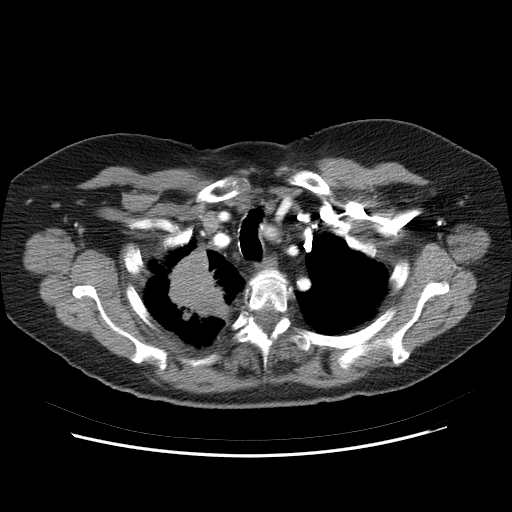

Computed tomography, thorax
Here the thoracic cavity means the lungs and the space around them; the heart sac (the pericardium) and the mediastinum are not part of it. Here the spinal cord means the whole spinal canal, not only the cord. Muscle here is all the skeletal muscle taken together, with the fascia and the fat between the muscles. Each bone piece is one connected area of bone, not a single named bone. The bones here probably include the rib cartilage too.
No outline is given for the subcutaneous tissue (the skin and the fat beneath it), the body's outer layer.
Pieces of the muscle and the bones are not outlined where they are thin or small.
The muscle is outlined by 324 157; 394 161; 431 180; 409 186; 422 210; 417 234; 424 242; 443 240; 458 223; 489 233; 479 294; 455 326; 411 354; 403 345; 429 298; 450 289; 446 280; 431 280; 411 317; 390 335; 368 341; 394 317; 394 306; 348 332; 376 316; 389 288; 392 295; 403 287; 408 260; 399 258; 390 273; 375 259; 373 242; 319 229; 314 211; 270 191; 209 208; 194 235; 192 224; 168 234; 163 258; 146 263; 142 295; 130 282; 124 293; 151 329; 157 329; 153 318; 196 348; 228 327; 234 343; 259 349; 264 368; 271 346; 292 325; 294 306; 307 326; 293 326; 288 336; 299 350; 344 350; 336 361; 347 369; 374 349; 390 349; 394 366; 349 383; 284 382; 201 394; 164 388; 136 364; 152 358; 164 370; 168 352; 113 322; 93 285; 76 284; 71 294; 92 298; 108 326; 133 343; 130 362; 59 322; 24 268; 27 239; 51 227; 79 247; 118 257; 124 235; 95 213; 107 188; 74 187; 108 166; 148 173; 252 165; 271 172 with holes at 226 176; 234 176; 235 177; 237 177; 239 179; 239 184; 242 188; 242 192; 241 193; 231 198; 229 198; 222 201; 218 201; 217 202; 205 202; 204 201; 200 201; 198 202; 196 201; 196 194; 200 190; 204 187; 211 184; 213 182 and at 303 169; 310 170; 320 175; 329 186; 330 190; 331 191; 331 194; 328 196; 326 196; 325 195; 318 195; 302 186; 290 184; 287 180; 288 177; 289 177; 290 175; 293 174; 295 172; 299 170; 302 170 and at 131 244; 139 248; 140 250; 140 253; 141 254; 141 257; 142 258; 142 260; 145 266; 145 271; 141 271; 136 275; 134 275; 130 273; 127 270; 126 268; 126 266; 125 265; 125 261; 124 260; 124 253; 126 251; 126 249; 127 247 and at 212 353; 216 353; 218 354; 220 357; 219 359; 215 363; 213 363; 209 365; 198 365; 197 366; 192 366; 189 364; 186 364; 185 363; 182 363; 180 362; 177 358; 179 356; 181 356; 182 357; 187 357; 188 358; 202 358. The mediastinum is outlined by 258 192; 288 195; 316 215; 317 228; 324 231; 313 235; 310 248; 304 255; 307 276; 311 281; 309 288; 305 290; 294 289; 285 274; 277 268; 258 270; 246 281; 227 258; 215 249; 204 246; 195 235; 209 209; 219 204; 242 203. The spinal cord is outlined by 263 309; 265 309; 266 310; 274 310; 275 311; 277 311; 280 314; 279 315; 279 319; 274 325; 273 327; 273 329; 269 333; 268 332; 266 332; 264 331; 263 329; 255 321; 255 315; 254 313; 256 311; 259 311. The thoracic cavity appears in 2 outlined pieces: piece 1: 193 236; 196 237; 204 247; 215 250; 227 259; 246 282; 241 293; 241 305; 235 319; 226 326; 211 343; 199 347; 184 342; 164 328; 154 319; 142 298; 146 281; 150 275; 147 263; 152 259; 159 261; 162 260; 168 251; 183 247; piece 2: 325 231; 342 237; 350 249; 374 259; 382 264; 389 273; 388 291; 379 304; 375 316; 341 334; 325 334; 308 328; 298 309; 292 305; 296 299; 295 290; 305 291; 311 287; 312 281; 308 276; 305 255; 311 248; 314 235; 320 235. The torso is outlined by 366 118; 413 122; 480 155; 496 168; 505 198; 511 272; 504 317; 483 340; 425 379; 396 391; 313 405; 174 405; 136 397; 84 374; 8 318; 0 272; 8 190; 16 174; 52 152; 115 132; 171 138; 200 148; 243 140; 285 143. The bones appear in 11 outlined pieces: piece 1: 431 281; 446 281; 449 289; 423 304; 401 340; 410 355; 398 365; 387 346; 374 348; 342 368; 337 358; 344 349; 312 344; 302 350; 289 339; 295 326; 325 335; 352 333; 390 307; 396 310; 393 317; 367 341; 383 339; 412 317; piece 2: 274 269; 284 274; 290 286; 293 287; 295 299; 291 302; 291 325; 286 331; 281 333; 270 346; 266 367; 264 367; 260 349; 248 341; 234 342; 231 338; 233 332; 229 329; 229 326; 236 319; 240 311; 242 293; 246 283; 258 271; inner edge: 263 309; 265 309; 266 310; 274 310; 275 311; 277 311; 280 314; 279 315; 279 319; 274 325; 273 327; 273 329; 269 333; 268 332; 266 332; 264 331; 263 329; 255 321; 255 315; 254 313; 256 311; 259 311; piece 3: 87 284; 95 288; 105 313; 113 323; 139 341; 159 347; 167 352; 166 366; 164 369; 160 369; 158 360; 152 357; 140 363; 135 363; 130 359; 135 352; 134 343; 109 326; 102 317; 92 297; 84 295; 76 298; 72 294; 74 286; piece 4: 226 176; 234 176; 235 177; 237 177; 239 179; 239 184; 242 188; 242 192; 241 193; 231 198; 229 198; 222 201; 218 201; 217 202; 205 202; 204 201; 200 201; 198 202; 196 201; 196 194; 200 190; 204 187; 211 184; 213 182; piece 5: 303 169; 310 170; 320 175; 329 186; 330 190; 331 191; 331 194; 328 196; 326 196; 325 195; 318 195; 302 186; 290 184; 287 180; 288 177; 289 177; 290 175; 293 174; 295 172; 299 170; 302 170; piece 6: 128 283; 130 283; 132 284; 135 290; 141 297; 143 303; 145 305; 147 310; 149 312; 149 313; 152 317; 152 320; 156 326; 156 329; 153 329; 151 328; 146 323; 145 323; 132 308; 126 296; 126 294; 125 293; 125 289; piece 7: 402 258; 406 259; 407 260; 409 264; 409 272; 408 273; 407 278; 404 284; 402 286; 402 287; 394 293; 390 294; 392 290; 389 286; 389 283; 388 282; 389 280; 389 276; 391 272; 393 270; 393 268; 398 261; 398 260; piece 8: 131 244; 139 248; 140 250; 140 253; 141 254; 141 257; 142 258; 142 260; 145 266; 145 271; 141 271; 136 275; 134 275; 130 273; 127 270; 126 268; 126 266; 125 265; 125 261; 124 260; 124 253; 126 251; 126 249; 127 247; piece 9: 189 225; 192 225; 193 226; 193 232; 192 233; 192 236; 189 240; 189 241; 183 246; 180 246; 174 249; 166 251; 164 249; 164 247; 163 246; 163 242; 164 240; 168 236; 168 235; 172 233; 174 233; 181 229; 184 229; piece 10: 347 234; 351 236; 353 236; 356 239; 362 242; 371 242; 373 243; 377 250; 375 257; 374 258; 371 258; 367 256; 364 253; 358 250; 354 250; 350 248; 348 246; 345 239; 342 236; 343 235; 346 235; piece 11: 212 353; 216 353; 218 354; 220 357; 219 359; 215 363; 213 363; 209 365; 198 365; 197 366; 192 366; 189 364; 186 364; 185 363; 182 363; 180 362; 177 358; 179 356; 181 356; 182 357; 187 357; 188 358; 202 358.